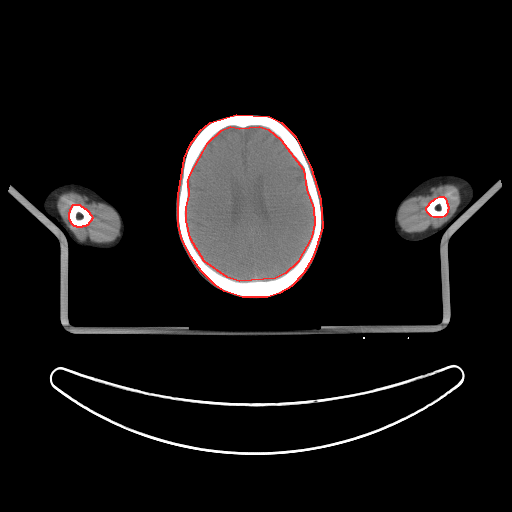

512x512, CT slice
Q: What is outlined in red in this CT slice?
A: red: bones.
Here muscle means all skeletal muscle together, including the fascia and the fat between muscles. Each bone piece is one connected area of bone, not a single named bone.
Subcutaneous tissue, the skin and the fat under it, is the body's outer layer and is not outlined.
The bones appear in 3 outlined pieces: piece 1: (236, 114) (269, 116) (281, 122) (295, 136) (310, 166) (320, 199) (322, 227) (312, 258) (303, 273) (291, 286) (279, 293) (267, 297) (242, 297) (224, 291) (215, 285) (201, 271) (191, 257) (182, 240) (178, 225) (178, 195) (184, 158) (190, 144) (200, 130) (210, 122); inner edge: (230, 126) (239, 128) (259, 126) (268, 129) (280, 139) (303, 169) (306, 189) (313, 208) (314, 223) (311, 237) (297, 262) (285, 273) (275, 278) (239, 281) (227, 277) (204, 261) (190, 238) (186, 220) (186, 207) (189, 195) (188, 180) (190, 174) (208, 142) (221, 130); piece 2: (73, 204) (79, 204) (81, 206) (82, 206) (84, 208) (85, 208) (89, 212) (89, 213) (91, 215) (92, 218) (87, 225) (86, 225) (85, 226) (82, 226) (81, 227) (77, 227) (76, 226) (74, 226) (71, 223) (71, 222) (69, 219) (69, 212) (70, 211) (70, 209); piece 3: (439, 196) (443, 196) (445, 198) (446, 200) (446, 202) (447, 203) (447, 205) (448, 206) (448, 209) (447, 210) (447, 212) (446, 214) (444, 216) (442, 217) (433, 217) (431, 216) (427, 212) (426, 210) (426, 207) (432, 200) (433, 200) (435, 198). The left arm is outlined by (442, 174) (452, 174) (453, 175) (457, 175) (463, 177) (469, 181) (473, 188) (473, 201) (461, 214) (458, 215) (441, 231) (439, 231) (434, 235) (420, 241) (408, 241) (401, 238) (396, 233) (393, 224) (395, 210) (399, 202) (414, 187) (422, 181) (432, 176) (441, 175). The right arm is outlined by (71, 182) (79, 183) (93, 189) (102, 197) (110, 202) (119, 211) (123, 219) (125, 229) (123, 237) (118, 245) (111, 249) (81, 247) (77, 245) (71, 239) (68, 238) (66, 234) (57, 225) (53, 223) (48, 212) (43, 207) (44, 199) (46, 195) (53, 188) (59, 185). The muscle appears in 2 outlined pieces: piece 1: (67, 191) (74, 191) (82, 195) (86, 195) (92, 200) (98, 202) (102, 202) (111, 207) (117, 214) (120, 221) (119, 235) (113, 241) (108, 243) (95, 243) (90, 241) (80, 241) (77, 239) (74, 234) (62, 220) (56, 207) (56, 202) (58, 196) (60, 194) with a hole at (73, 204) (79, 204) (81, 206) (82, 206) (84, 208) (85, 208) (89, 212) (89, 213) (91, 215) (92, 218) (87, 225) (86, 225) (85, 226) (82, 226) (81, 227) (77, 227) (76, 226) (74, 226) (71, 223) (71, 222) (69, 219) (69, 212) (70, 211) (70, 209); piece 2: (448, 183) (458, 186) (461, 196) (460, 204) (454, 214) (442, 225) (437, 228) (430, 227) (422, 232) (415, 233) (404, 232) (400, 228) (397, 220) (398, 212) (401, 205) (410, 197) (426, 194) (428, 192) (428, 190) (433, 186) (438, 186) (441, 184); inner edge: (439, 196) (443, 196) (445, 198) (446, 200) (446, 202) (447, 203) (447, 205) (448, 206) (448, 209) (447, 210) (447, 212) (446, 214) (444, 216) (442, 217) (433, 217) (431, 216) (427, 212) (426, 210) (426, 207) (432, 200) (433, 200) (435, 198). The head is outlined by (236, 114) (265, 115) (281, 122) (295, 136) (307, 156) (315, 172) (323, 198) (324, 231) (317, 255) (311, 267) (303, 279) (287, 291) (273, 297) (262, 299) (235, 297) (212, 287) (204, 281) (198, 275) (182, 249) (174, 219) (176, 187) (190, 144) (200, 130) (210, 122). The brain is outlined by (230, 126) (239, 128) (259, 126) (268, 129) (280, 139) (303, 169) (306, 189) (313, 208) (314, 223) (311, 237) (297, 262) (285, 273) (275, 278) (239, 281) (227, 277) (204, 261) (190, 238) (186, 220) (186, 207) (189, 195) (188, 180) (190, 174) (208, 142) (221, 130).